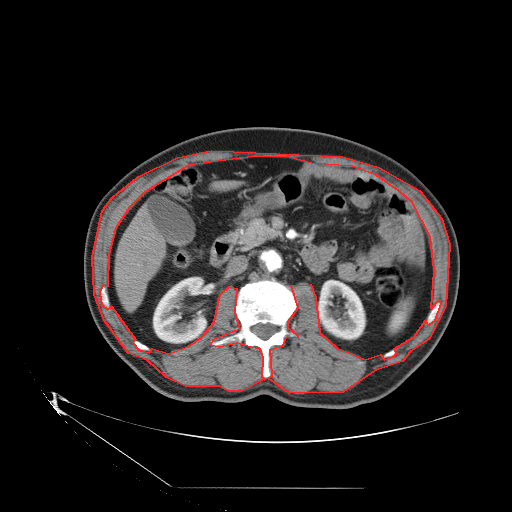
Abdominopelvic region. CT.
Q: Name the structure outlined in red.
A: red: muscle.
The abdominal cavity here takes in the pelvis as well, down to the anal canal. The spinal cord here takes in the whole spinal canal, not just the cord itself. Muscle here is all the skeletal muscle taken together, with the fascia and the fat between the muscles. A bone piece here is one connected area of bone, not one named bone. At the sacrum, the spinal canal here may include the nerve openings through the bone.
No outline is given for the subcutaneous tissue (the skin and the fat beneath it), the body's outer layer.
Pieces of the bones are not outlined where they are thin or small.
muscle: 211,150 342,156 379,167 419,190 441,218 449,244 445,306 428,339 410,351 402,361 375,370 342,392 289,393 268,378 272,375 270,349 283,345 286,337 298,336 288,328 288,321 298,307 291,285 310,284 315,297 319,332 336,347 365,359 380,354 384,359 393,356 396,353 394,348 414,336 425,320 427,325 435,320 441,303 438,300 431,308 434,270 430,236 412,202 399,191 376,175 352,166 311,163 289,157 254,156 188,165 144,192 129,207 115,228 108,254 107,286 102,285 99,292 101,304 107,309 111,306 135,339 132,342 138,349 149,352 152,348 168,353 188,346 202,336 214,321 220,294 229,286 236,288 234,312 239,329 212,340 210,344 219,346 236,342 259,348 262,357 261,376 264,379 241,391 228,391 219,386 185,386 166,377 147,360 128,353 104,320 94,294 92,257 102,210 112,197 138,176 177,157
torso: 250,126 315,130 375,148 411,170 439,200 453,225 460,275 450,321 428,357 380,399 347,409 299,407 265,394 234,403 175,400 140,378 93,321 84,289 83,252 91,215 102,196 130,169 170,145 210,131
spinal cord: 258,323 261,323 262,324 265,324 266,323 270,323 273,325 275,325 277,326 278,327 278,330 276,332 272,334 267,339 262,339 258,336 257,336 253,332 252,332 251,330 251,327
bones 1: 262,279 289,286 297,301 297,307 287,321 287,328 297,336 286,336 283,344 273,345 269,349 268,365 271,375 267,378 262,376 263,357 259,347 236,341 211,344 240,329 235,312 238,291 246,283, around a hole outlined by 258,323 261,323 262,324 265,324 266,323 270,323 273,325 275,325 277,326 278,327 278,330 276,332 272,334 267,339 262,339 258,336 257,336 253,332 252,332 251,330 251,327
bones 2: 438,301 439,301 439,302 440,303 440,304 439,305 439,311 436,314 436,316 435,317 434,320 431,323 430,323 429,324 427,324 426,323 426,318 428,315 428,313 430,311 430,310 433,307 433,306
bones 3: 102,286 104,286 107,290 107,294 108,295 108,298 109,299 109,303 110,304 110,306 109,307 109,308 107,308 106,307 105,307 102,304 102,302 101,301 101,293 100,292 100,290 101,289 101,287
bones 4: 134,340 138,340 140,342 141,342 142,343 143,343 144,344 145,344 147,346 148,346 150,348 150,350 149,351 147,351 146,350 142,350 141,349 140,349 139,348 138,348 134,344 134,343 133,342 134,341
abdominal cavity: 254,157 359,169 411,202 429,236 433,270 430,309 414,335 383,353 362,357 320,332 310,283 287,285 263,278 238,290 224,288 210,327 188,345 165,352 132,335 107,289 112,240 123,216 152,186 183,168